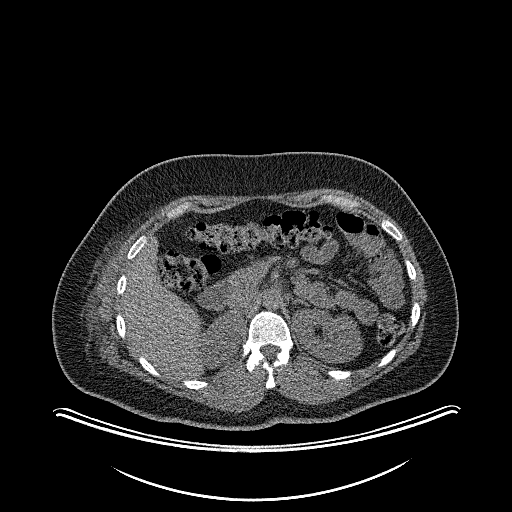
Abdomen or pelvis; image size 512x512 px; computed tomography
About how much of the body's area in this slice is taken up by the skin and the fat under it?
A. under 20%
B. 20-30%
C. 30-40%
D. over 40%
Answer: C. 30-40%
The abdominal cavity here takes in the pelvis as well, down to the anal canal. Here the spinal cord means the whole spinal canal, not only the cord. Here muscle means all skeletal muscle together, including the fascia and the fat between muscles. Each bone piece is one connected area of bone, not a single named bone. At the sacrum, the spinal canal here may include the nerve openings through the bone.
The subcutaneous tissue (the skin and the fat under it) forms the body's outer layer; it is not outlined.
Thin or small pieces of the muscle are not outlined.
The spinal cord is outlined by (268, 344) (271, 344) (272, 345) (274, 345) (275, 346) (277, 346) (279, 348) (279, 350) (275, 354) (275, 357) (273, 359) (268, 359) (261, 352) (261, 351) (260, 350) (260, 349) (261, 348) (261, 347) (262, 346) (264, 346) (265, 345) (267, 345). The abdominal cavity is outlined by (256, 199) (292, 207) (331, 204) (355, 209) (396, 241) (410, 280) (409, 323) (380, 359) (352, 370) (324, 364) (297, 346) (285, 319) (271, 310) (257, 312) (237, 354) (200, 379) (160, 373) (136, 351) (126, 334) (122, 302) (132, 262) (148, 239) (185, 212) (214, 213). The bones appear in 13 outlined pieces: piece 1: (261, 311) (271, 311) (280, 315) (289, 328) (294, 344) (289, 352) (288, 363) (277, 366) (273, 370) (275, 383) (273, 388) (266, 388) (265, 386) (268, 375) (267, 371) (260, 365) (249, 371) (245, 364) (246, 358) (241, 355) (242, 345) (248, 336) (250, 321) with a hole at (268, 344) (271, 344) (272, 345) (274, 345) (275, 346) (277, 346) (279, 348) (279, 350) (275, 354) (275, 357) (273, 359) (268, 359) (261, 352) (261, 351) (260, 350) (260, 349) (261, 348) (261, 347) (262, 346) (264, 346) (265, 345) (267, 345); piece 2: (323, 194) (334, 194) (335, 195) (344, 196) (350, 199) (355, 199) (360, 203) (360, 206) (357, 208) (354, 208) (353, 209) (346, 209) (345, 208) (343, 208) (342, 207) (340, 207) (336, 205) (333, 205) (331, 203) (325, 203) (323, 201) (321, 201) (319, 199) (320, 196); piece 3: (384, 218) (390, 221) (399, 230) (402, 236) (402, 239) (401, 240) (399, 241) (397, 241) (393, 237) (392, 237) (391, 235) (390, 235) (382, 228) (380, 224) (380, 222) (381, 221) (381, 219) (383, 219); piece 4: (143, 234) (144, 234) (147, 237) (147, 243) (146, 243) (143, 246) (143, 247) (142, 247) (141, 248) (141, 249) (136, 254) (136, 255) (132, 259) (128, 259) (127, 258) (127, 253) (128, 252) (128, 251) (129, 250) (130, 247) (133, 244) (133, 243) (141, 235) (142, 235); piece 5: (186, 201) (189, 201) (191, 202) (192, 204) (191, 206) (182, 214) (180, 215) (178, 215) (176, 217) (174, 217) (170, 219) (169, 219) (166, 216) (165, 214) (166, 212) (167, 212) (172, 208) (174, 208) (178, 205); piece 6: (415, 301) (417, 302) (419, 305) (419, 307) (420, 308) (420, 314) (419, 315) (419, 318) (418, 319) (418, 321) (416, 325) (413, 328) (412, 328) (411, 327) (411, 321) (410, 320) (410, 316) (411, 315) (411, 309) (412, 308) (412, 304) (413, 302); piece 7: (185, 379) (189, 379) (190, 380) (191, 380) (192, 379) (196, 379) (197, 380) (201, 380) (202, 381) (205, 381) (206, 382) (207, 382) (207, 386) (206, 386) (205, 387) (203, 387) (202, 388) (199, 388) (198, 389) (189, 388) (183, 384) (183, 382) (182, 381); piece 8: (141, 355) (142, 356) (143, 356) (143, 357) (144, 358) (145, 358) (160, 374) (160, 377) (157, 377) (156, 376) (151, 374) (149, 372) (148, 372) (145, 369) (144, 369) (144, 368) (141, 365) (141, 364) (139, 362) (139, 360) (138, 359) (139, 356) (140, 356); piece 9: (118, 313) (120, 313) (122, 315) (122, 316) (123, 317) (123, 319) (124, 320) (124, 322) (125, 323) (125, 337) (124, 338) (122, 338) (119, 335) (119, 334) (118, 333) (118, 332) (117, 331) (117, 328) (116, 327) (116, 315); piece 10: (329, 370) (349, 370) (350, 371) (351, 371) (351, 373) (350, 374) (350, 375) (348, 377) (347, 377) (346, 378) (345, 378) (344, 379) (335, 379) (333, 377) (332, 377) (331, 376) (330, 376) (327, 373) (327, 371) (328, 371); piece 11: (393, 348) (395, 348) (396, 349) (396, 352) (395, 353) (395, 354) (394, 355) (394, 356) (393, 357) (393, 358) (388, 363) (387, 363) (385, 365) (384, 365) (382, 367) (379, 367) (378, 366) (378, 364) (379, 363) (379, 362) (381, 360) (381, 359) (391, 349) (392, 349); piece 12: (123, 274) (124, 274) (126, 276) (126, 285) (125, 286) (125, 289) (123, 292) (123, 294) (122, 295) (121, 295) (120, 294) (118, 294) (117, 293) (117, 290) (116, 289) (116, 286) (117, 285) (117, 282) (118, 281) (118, 279) (121, 276) (121, 275) (122, 275); piece 13: (405, 259) (408, 259) (410, 261) (410, 262) (413, 265) (413, 266) (415, 269) (415, 271) (416, 272) (416, 279) (415, 280) (411, 280) (410, 279) (410, 278) (408, 275) (408, 273) (407, 272) (407, 270) (406, 269) (406, 265) (405, 264) (405, 262) (404, 261) (405, 260). The torso is outlined by (300, 151) (347, 154) (377, 165) (399, 183) (431, 228) (453, 276) (459, 314) (455, 348) (444, 372) (418, 392) (339, 420) (276, 423) (248, 431) (156, 421) (84, 393) (74, 386) (63, 373) (53, 345) (53, 299) (68, 259) (112, 196) (140, 171) (172, 158) (193, 154). The muscle is outlined by (315, 188) (336, 188) (345, 191) (349, 191) (355, 195) (359, 195) (363, 197) (394, 219) (410, 240) (410, 243) (415, 253) (416, 258) (422, 269) (422, 272) (424, 276) (424, 283) (427, 294) (427, 301) (425, 303) (426, 315) (423, 327) (423, 335) (421, 338) (420, 345) (405, 360) (402, 361) (393, 369) (369, 384) (344, 397) (339, 398) (328, 403) (316, 404) (315, 405) (303, 404) (299, 403) (295, 400) (290, 399) (278, 392) (274, 392) (267, 394) (260, 403) (250, 410) (237, 413) (224, 411) (220, 409) (209, 407) (202, 403) (194, 401) (191, 399) (185, 397) (181, 397) (166, 392) (164, 390) (158, 388) (145, 381) (143, 381) (135, 376) (129, 374) (127, 372) (121, 371) (115, 367) (108, 365) (106, 362) (102, 362) (101, 361) (101, 358) (98, 353) (98, 344) (100, 340) (100, 332) (102, 330) (102, 326) (101, 325) (100, 316) (98, 312) (97, 300) (99, 294) (99, 284) (102, 271) (112, 256) (117, 252) (120, 245) (130, 234) (133, 233) (156, 210) (170, 201) (186, 195) (255, 195) (256, 194) (272, 194) (273, 193) (283, 193) (292, 191) (301, 191) (302, 190) (314, 189) with a hole at (323, 194) (355, 199) (360, 203) (356, 210) (378, 223) (384, 218) (390, 221) (401, 233) (396, 242) (403, 259) (415, 269) (411, 303) (418, 303) (419, 318) (413, 328) (409, 321) (388, 363) (379, 367) (378, 359) (335, 379) (327, 373) (335, 368) (306, 354) (293, 339) (288, 363) (273, 370) (273, 388) (266, 388) (268, 374) (260, 365) (247, 369) (241, 347) (225, 366) (201, 377) (207, 386) (198, 389) (187, 387) (180, 377) (165, 373) (157, 377) (144, 369) (128, 334) (122, 338) (116, 327) (116, 315) (123, 313) (117, 282) (123, 274) (128, 277) (134, 259) (128, 259) (127, 253) (141, 235) (149, 239) (169, 220) (166, 212) (186, 201) (192, 204) (185, 211) (199, 214) (256, 199) (310, 207) (324, 204) (319, 199).